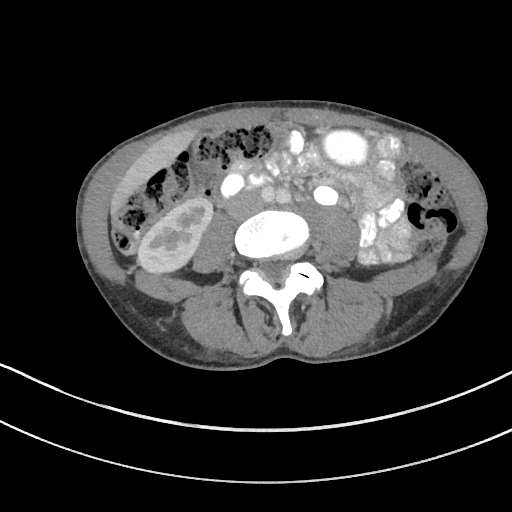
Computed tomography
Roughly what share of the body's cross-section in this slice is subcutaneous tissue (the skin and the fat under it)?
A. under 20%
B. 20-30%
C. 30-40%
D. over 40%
A. under 20%
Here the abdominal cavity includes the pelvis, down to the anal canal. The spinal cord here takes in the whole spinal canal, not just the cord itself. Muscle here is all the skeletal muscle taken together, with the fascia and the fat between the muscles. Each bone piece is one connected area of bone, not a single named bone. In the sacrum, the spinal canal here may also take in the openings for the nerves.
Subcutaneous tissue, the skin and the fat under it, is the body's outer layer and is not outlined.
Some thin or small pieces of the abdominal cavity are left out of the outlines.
{"abdominal_cavity":[[[207,286],[220,274],[191,265],[216,211],[237,226],[264,208],[339,207],[357,222],[360,240],[356,258],[334,275],[364,282],[448,253],[463,231],[457,208],[423,150],[390,132],[282,116],[172,132],[134,159],[114,188],[110,243],[127,271]]],"bones":[{"outer":[[283,335],[292,330],[288,313],[290,302],[300,292],[310,295],[320,289],[323,277],[311,262],[301,259],[302,248],[309,237],[306,220],[291,210],[264,209],[243,221],[235,231],[235,247],[249,262],[240,274],[238,284],[244,294],[261,296],[275,307]],"hole":[[273,285],[279,285],[283,282],[283,280],[287,274],[289,266],[292,263],[292,261],[291,260],[289,259],[286,259],[283,255],[276,255],[275,256],[272,256],[268,258],[261,258],[257,260],[257,268],[261,272],[263,276],[270,283],[271,283]]}],"muscle":[{"outer":[[248,358],[253,358],[261,356],[270,353],[278,348],[282,348],[283,347],[292,351],[296,351],[302,354],[310,355],[315,357],[326,356],[348,351],[352,348],[361,345],[375,336],[377,336],[381,332],[381,330],[386,323],[390,311],[391,304],[394,298],[409,290],[416,288],[430,280],[445,275],[468,265],[473,259],[484,233],[484,229],[485,228],[485,199],[483,195],[483,192],[481,190],[479,182],[465,163],[457,156],[454,155],[437,142],[426,136],[415,132],[393,127],[390,125],[373,120],[367,116],[362,116],[350,113],[344,113],[328,108],[278,107],[277,106],[275,107],[233,108],[232,109],[214,112],[211,114],[190,119],[165,130],[161,130],[154,134],[149,135],[140,140],[137,140],[129,143],[119,149],[112,155],[96,171],[89,182],[84,193],[84,199],[81,212],[82,234],[83,235],[84,244],[89,257],[97,272],[111,279],[119,285],[122,285],[125,287],[129,287],[144,296],[150,297],[165,303],[173,308],[181,316],[185,323],[190,336],[198,343],[215,351],[223,352],[235,357],[247,357]],"hole":[[283,335],[292,330],[290,302],[323,284],[317,268],[301,259],[309,237],[308,224],[297,211],[304,201],[339,207],[358,224],[358,253],[337,277],[369,281],[379,272],[451,249],[463,231],[457,208],[417,144],[372,128],[281,116],[172,132],[126,168],[108,210],[110,243],[122,266],[196,285],[222,279],[191,267],[214,213],[222,211],[236,222],[234,244],[249,262],[238,284],[244,294],[261,296],[275,307]]}],"spinal_cord":[[[273,285],[279,285],[283,282],[283,280],[287,274],[289,266],[292,263],[292,261],[291,260],[289,259],[286,259],[283,255],[276,255],[275,256],[272,256],[268,258],[261,258],[257,260],[257,268],[261,272],[263,276],[270,283],[271,283]]],"torso":[[[210,371],[250,369],[281,358],[312,364],[351,361],[389,351],[427,331],[463,289],[486,242],[489,206],[475,171],[443,139],[419,126],[319,99],[213,104],[155,125],[111,148],[89,169],[77,194],[75,231],[84,266],[110,309],[141,343],[167,360]]]}